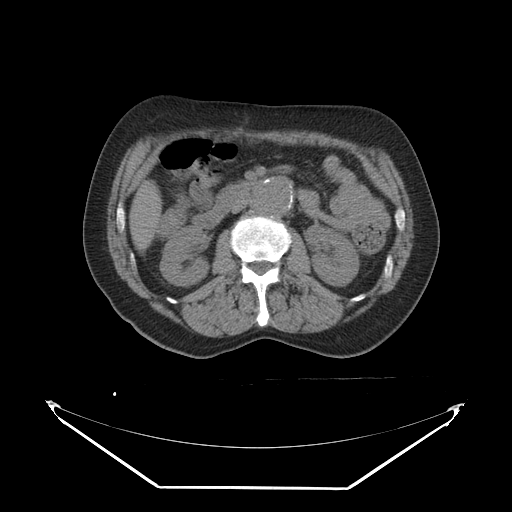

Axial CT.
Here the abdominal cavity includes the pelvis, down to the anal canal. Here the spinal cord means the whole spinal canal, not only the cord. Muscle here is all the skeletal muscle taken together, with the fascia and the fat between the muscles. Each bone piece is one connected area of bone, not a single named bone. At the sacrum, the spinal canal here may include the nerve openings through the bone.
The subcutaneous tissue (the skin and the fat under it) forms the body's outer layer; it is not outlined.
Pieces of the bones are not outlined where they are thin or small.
Outlines (x, y in pixels):
abdominal cavity: [[188,136],[330,146],[354,155],[373,185],[395,207],[395,237],[373,287],[351,297],[332,291],[313,276],[306,246],[294,228],[272,215],[254,214],[240,217],[218,235],[211,274],[199,287],[177,299],[150,290],[130,253],[125,202],[158,153],[167,144]]
muscle: [[192,126],[216,126],[217,127],[238,127],[239,126],[246,129],[259,129],[260,130],[286,130],[287,129],[309,130],[318,132],[326,132],[329,134],[332,134],[352,141],[382,147],[391,156],[400,171],[411,201],[412,212],[414,216],[414,239],[413,240],[414,243],[407,263],[395,287],[381,300],[352,320],[324,332],[306,335],[299,333],[288,333],[278,330],[273,327],[267,326],[261,328],[252,327],[239,334],[224,338],[214,338],[201,336],[187,330],[179,324],[168,319],[139,299],[117,274],[110,258],[110,254],[108,250],[107,229],[106,228],[107,218],[106,217],[107,216],[107,204],[111,192],[112,182],[119,164],[127,148],[141,134],[153,131],[182,127],[191,127]]; inner edge: [[188,136],[354,155],[405,212],[389,251],[391,277],[383,271],[363,299],[350,302],[313,276],[302,237],[289,227],[280,281],[266,288],[269,318],[260,326],[256,289],[240,281],[226,228],[203,284],[175,304],[150,290],[133,271],[116,209],[158,153]]
spinal cord: [[255,261],[258,261],[259,262],[260,261],[267,261],[271,263],[273,265],[273,266],[271,268],[267,270],[264,273],[262,274],[258,274],[256,273],[253,270],[252,270],[249,267],[249,264]]
torso: [[161,93],[263,104],[359,104],[382,111],[400,126],[425,174],[438,216],[440,242],[423,294],[391,336],[368,352],[345,358],[266,338],[213,357],[193,358],[154,344],[114,311],[93,280],[84,255],[82,221],[87,193],[100,151],[117,121],[137,102]]
bones 1: [[254,215],[272,216],[275,220],[285,224],[291,235],[289,248],[280,259],[280,281],[269,284],[266,288],[265,299],[269,318],[265,326],[260,326],[256,321],[259,305],[256,289],[252,283],[240,281],[241,260],[230,246],[230,230],[236,221],[244,216]]; inner edge: [[255,261],[258,261],[259,262],[260,261],[267,261],[271,263],[273,265],[273,266],[271,268],[267,270],[264,273],[262,274],[258,274],[256,273],[253,270],[252,270],[249,267],[249,264]]
bones 2: [[120,200],[121,200],[122,201],[123,201],[123,205],[124,206],[124,210],[125,211],[125,226],[124,227],[124,230],[122,232],[119,232],[118,231],[118,230],[117,229],[117,225],[116,224],[116,209],[117,208],[117,205],[118,204],[118,202]]
bones 3: [[397,207],[401,207],[404,210],[404,211],[405,212],[405,228],[402,231],[400,231],[397,228],[397,227],[396,226],[396,223],[395,222],[395,219],[394,218],[394,213],[395,212],[395,210],[396,209],[396,208]]
bones 4: [[389,253],[390,253],[391,255],[391,257],[392,258],[392,261],[393,262],[393,268],[392,269],[392,275],[391,277],[389,278],[385,278],[384,276],[384,266],[385,265],[385,262],[386,261],[386,258],[387,257],[387,255]]